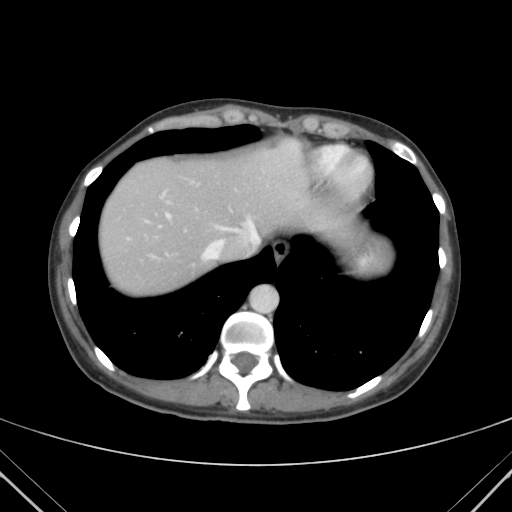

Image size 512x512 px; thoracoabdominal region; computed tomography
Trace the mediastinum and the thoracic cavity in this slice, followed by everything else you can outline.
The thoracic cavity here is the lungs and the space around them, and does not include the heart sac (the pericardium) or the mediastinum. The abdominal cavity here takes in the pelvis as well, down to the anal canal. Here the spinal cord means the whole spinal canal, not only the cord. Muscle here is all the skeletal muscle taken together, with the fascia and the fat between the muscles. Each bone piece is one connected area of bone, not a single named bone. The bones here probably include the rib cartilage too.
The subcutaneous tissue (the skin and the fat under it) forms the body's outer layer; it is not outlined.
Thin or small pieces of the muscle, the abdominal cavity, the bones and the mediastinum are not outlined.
mediastinum 1: 272 324; 273 322; 273 316; 274 315; 275 310; 279 303; 279 294; 276 289; 276 287; 275 286; 275 281; 274 280; 271 282; 264 282; 253 286; 248 292; 243 303; 237 310; 251 310; 252 311; 260 313; 265 316; 272 323
mediastinum 2: 277 268; 280 262; 282 260; 282 259; 286 255; 287 255; 290 251; 290 246; 289 245; 289 240; 288 238; 286 237; 282 237; 281 238; 278 237; 274 239; 271 243; 271 245; 274 250; 274 254; 275 255; 275 262; 276 263; 276 267
thoracic cavity: 330 390; 382 373; 429 307; 438 212; 415 166; 365 141; 364 215; 398 250; 385 279; 340 277; 296 236; 277 269; 266 246; 130 299; 96 245; 120 176; 260 133; 160 131; 112 160; 73 252; 110 359; 186 376; 274 279; 284 368
torso: 252 425; 311 424; 351 417; 394 400; 422 376; 443 345; 457 310; 461 252; 455 213; 445 186; 421 149; 385 122; 328 107; 285 106; 233 97; 194 99; 148 115; 77 174; 51 229; 49 300; 73 361; 106 391; 136 406; 182 419
muscle 1: 278 412; 326 411; 353 404; 384 390; 427 352; 438 335; 445 317; 453 272; 451 221; 445 198; 417 156; 416 167; 429 191; 439 192; 446 203; 446 212; 439 214; 439 244; 445 249; 447 263; 437 276; 430 304; 434 313; 427 331; 422 338; 414 338; 375 387; 352 399; 346 396; 351 390; 323 390; 296 381; 292 384; 275 370; 268 378; 251 386; 248 391; 251 408; 246 411
muscle 2: 234 409; 238 398; 237 389; 232 382; 219 374; 218 362; 206 374; 195 380; 188 380; 186 377; 159 380; 138 377; 118 367; 111 372; 96 358; 92 349; 95 344; 85 327; 78 307; 71 303; 66 287; 66 279; 72 275; 73 251; 73 238; 69 236; 67 228; 73 216; 80 214; 82 209; 88 187; 82 185; 83 178; 62 217; 55 249; 57 295; 71 334; 101 371; 140 394; 186 405
muscle 3: 384 146; 386 146; 390 140; 396 139; 394 138; 380 136; 359 125; 339 118; 314 113; 302 114; 294 118; 290 117; 285 120; 281 120; 278 117; 273 116; 259 109; 236 104; 224 104; 209 109; 195 110; 193 112; 182 115; 170 116; 191 116; 205 113; 219 114; 225 109; 237 108; 243 111; 246 115; 249 113; 254 113; 258 116; 258 119; 256 121; 254 122; 246 121; 244 123; 286 127; 295 131; 305 131; 324 136; 326 136; 323 132; 318 131; 309 132; 302 126; 301 123; 302 120; 305 117; 312 116; 316 117; 321 122; 334 121; 347 125; 350 128; 350 132; 347 135; 340 137; 345 138; 355 137; 360 139; 371 139
muscle 4: 104 167; 118 154; 129 147; 133 143; 139 139; 148 135; 147 132; 145 130; 145 128; 147 126; 142 129; 138 133; 135 134; 126 140; 123 143; 110 152; 106 156; 105 156; 99 162; 98 162; 95 165; 97 164; 102 164
abdominal cavity: 130 298; 177 291; 257 254; 278 236; 309 237; 330 255; 338 275; 360 283; 387 277; 397 250; 363 215; 367 204; 358 211; 334 209; 312 189; 304 156; 313 139; 265 126; 263 138; 146 158; 121 176; 102 206; 97 245; 108 285
pericardium: 358 210; 367 203; 371 196; 374 186; 375 170; 373 160; 369 152; 365 148; 356 144; 355 142; 341 140; 339 138; 329 138; 328 140; 314 139; 310 141; 310 146; 305 156; 305 166; 307 176; 313 189; 325 202; 334 208; 355 208
spinal cord: 242 374; 245 374; 246 373; 249 372; 249 371; 256 364; 256 363; 257 362; 257 357; 256 356; 255 356; 254 355; 253 355; 248 352; 240 352; 239 353; 237 353; 232 356; 232 362; 239 369; 239 370; 240 371; 240 373; 241 373
bones 1: 238 410; 250 408; 248 389; 255 381; 268 377; 275 369; 285 380; 295 382; 283 368; 274 348; 271 323; 262 315; 251 311; 236 311; 227 318; 218 346; 198 370; 187 376; 188 379; 195 379; 218 361; 220 374; 232 381; 238 389; inner edge: 242 374; 245 374; 246 373; 249 372; 249 371; 256 364; 256 363; 257 362; 257 357; 256 356; 255 356; 254 355; 253 355; 248 352; 240 352; 239 353; 237 353; 232 356; 232 362; 239 369; 239 370; 240 371; 240 373; 241 373
bones 2: 149 134; 160 130; 188 126; 214 127; 223 122; 228 125; 238 124; 243 123; 246 120; 254 121; 257 119; 257 116; 254 114; 249 114; 246 116; 240 110; 228 109; 219 115; 205 114; 191 117; 170 117; 153 125; 149 125; 146 128
bones 3: 329 137; 339 137; 347 134; 349 132; 349 128; 347 126; 334 122; 325 122; 324 123; 321 123; 316 118; 313 118; 312 117; 308 117; 305 118; 303 120; 302 122; 303 126; 307 130; 309 131; 314 131; 315 130; 323 131; 325 134
bones 4: 414 165; 415 165; 417 163; 417 159; 416 158; 416 156; 414 152; 407 145; 406 145; 404 143; 398 140; 395 140; 394 141; 390 141; 388 143; 386 147; 390 149; 394 153; 395 153; 400 157; 407 160; 409 162; 412 163
bones 5: 350 398; 355 397; 367 391; 369 389; 375 386; 382 379; 383 377; 383 375; 382 374; 380 374; 372 378; 370 380; 367 381; 365 383; 360 385; 358 387; 355 388; 353 390; 350 391; 347 394; 347 396
bones 6: 111 371; 114 371; 116 369; 116 366; 109 359; 109 358; 96 345; 94 345; 93 346; 93 349; 94 350; 94 351; 95 352; 95 354; 96 355; 96 356; 97 357; 97 358; 108 369; 109 369
bones 7: 84 186; 88 186; 93 181; 94 181; 96 179; 96 178; 100 174; 100 173; 102 171; 102 170; 103 169; 103 166; 102 165; 97 165; 96 166; 91 168; 88 171; 88 172; 86 174; 86 175; 84 178; 84 180; 83 181; 83 185
bones 8: 416 338; 420 338; 421 337; 422 337; 422 336; 426 331; 426 330; 431 321; 431 318; 432 317; 433 310; 432 309; 432 308; 431 308; 430 307; 428 309; 428 310; 421 323; 421 325; 419 328; 419 330; 418 331; 418 333; 416 336
bones 9: 440 214; 443 214; 445 212; 445 203; 444 202; 444 200; 443 199; 442 196; 439 193; 438 193; 437 192; 433 192; 431 194; 431 195; 432 196; 432 198; 433 199; 433 201; 434 202; 434 203; 435 204; 435 205; 436 206; 436 207